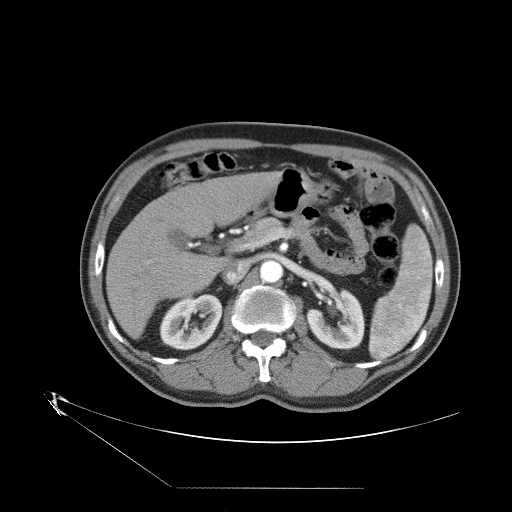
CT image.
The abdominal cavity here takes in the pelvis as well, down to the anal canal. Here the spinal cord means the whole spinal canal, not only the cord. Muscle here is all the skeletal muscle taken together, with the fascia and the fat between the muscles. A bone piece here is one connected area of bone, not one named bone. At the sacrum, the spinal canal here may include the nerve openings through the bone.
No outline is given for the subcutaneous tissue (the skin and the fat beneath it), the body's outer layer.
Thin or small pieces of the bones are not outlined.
{"bones":[{"outer":[[261,284],[283,290],[293,300],[296,309],[293,323],[281,335],[286,341],[285,352],[280,356],[272,356],[269,360],[270,380],[267,382],[259,380],[258,361],[254,356],[247,356],[242,351],[241,343],[245,336],[231,323],[232,309],[236,298],[244,289]],"hole":[[261,329],[263,329],[266,331],[269,331],[270,332],[273,332],[276,334],[276,336],[273,339],[272,342],[271,343],[270,343],[268,345],[267,345],[264,347],[261,347],[260,346],[253,343],[250,338],[251,337],[250,336],[253,333],[254,333]]},[[100,241],[101,241],[104,245],[104,250],[105,251],[105,253],[104,254],[104,261],[103,262],[103,266],[101,270],[101,273],[99,275],[95,275],[95,273],[94,272],[94,261],[95,260],[95,254],[96,253],[97,244],[98,242]],[[439,258],[440,258],[442,260],[442,261],[443,262],[443,283],[442,284],[442,285],[441,286],[441,287],[440,287],[439,288],[437,288],[436,287],[436,282],[435,281],[435,263],[436,262],[436,259],[438,259]],[[417,194],[420,195],[422,200],[424,202],[424,203],[425,204],[425,205],[429,212],[429,214],[432,219],[432,224],[429,224],[428,225],[426,225],[426,224],[423,219],[423,216],[419,209],[419,202],[418,201],[418,199],[417,198]],[[423,328],[424,328],[427,331],[427,334],[426,335],[426,337],[425,338],[424,341],[422,343],[422,344],[421,345],[420,345],[417,348],[416,348],[412,351],[409,351],[409,348],[415,342],[415,341],[418,337],[421,330]],[[109,317],[110,317],[111,318],[111,319],[112,320],[112,321],[113,322],[113,323],[114,324],[114,325],[115,326],[116,329],[124,339],[124,342],[121,342],[120,341],[119,341],[111,333],[111,332],[109,330],[109,328],[108,327],[108,318]],[[152,356],[156,356],[157,357],[162,357],[163,358],[166,358],[167,357],[172,357],[173,358],[178,358],[180,360],[174,363],[171,363],[170,364],[165,364],[161,362],[158,362],[157,361],[155,361],[152,358]],[[373,361],[381,361],[381,362],[379,364],[378,364],[377,365],[376,365],[375,366],[373,366],[372,367],[368,367],[367,368],[362,368],[361,367],[356,367],[354,365],[355,364],[355,363],[357,363],[358,362],[372,362]]],"torso":[[[211,121],[318,125],[384,140],[423,169],[444,201],[457,235],[461,264],[452,319],[441,342],[421,366],[361,408],[303,413],[265,399],[237,407],[180,405],[140,383],[110,355],[96,335],[82,301],[79,256],[97,194],[117,166],[142,144],[174,128]]],"spinal_cord":[[[261,329],[263,329],[266,331],[269,331],[270,332],[273,332],[276,334],[276,336],[273,339],[272,342],[271,343],[270,343],[268,345],[267,345],[264,347],[261,347],[260,346],[253,343],[250,338],[251,337],[250,336],[253,333],[254,333]]],"abdominal_cavity":[[[261,147],[342,159],[384,173],[403,188],[435,251],[432,309],[407,349],[383,361],[336,358],[309,336],[302,297],[261,283],[230,298],[217,336],[185,356],[152,355],[119,332],[104,297],[102,270],[108,228],[127,194],[148,170],[164,161],[209,149]]],"muscle":[{"outer":[[198,138],[246,138],[270,143],[349,146],[383,154],[409,168],[422,180],[444,229],[450,281],[441,320],[430,341],[409,364],[378,378],[358,392],[339,396],[296,397],[268,382],[271,380],[270,360],[286,352],[287,341],[282,335],[297,316],[296,304],[290,296],[301,297],[307,334],[314,342],[334,358],[367,369],[408,349],[412,352],[423,344],[428,334],[424,326],[433,309],[436,288],[441,288],[444,283],[444,262],[440,257],[436,258],[427,226],[433,224],[433,219],[420,194],[417,193],[416,198],[422,219],[404,188],[384,172],[335,156],[268,146],[209,148],[152,166],[122,200],[107,228],[105,243],[100,240],[96,244],[93,261],[94,275],[102,275],[110,333],[119,342],[124,343],[125,339],[134,348],[151,354],[155,362],[165,365],[179,362],[179,358],[202,350],[214,340],[223,327],[226,305],[234,298],[230,323],[244,336],[240,343],[241,351],[257,361],[259,382],[235,394],[177,389],[128,360],[115,348],[92,302],[88,277],[90,246],[102,204],[119,174],[130,163],[169,144]],"hole":[[116,193],[118,193],[119,194],[119,199],[114,204],[114,205],[113,206],[113,207],[111,207],[110,208],[109,207],[109,205],[110,204],[110,202],[112,200],[112,199],[113,198],[113,197],[115,195],[115,194]]}]}